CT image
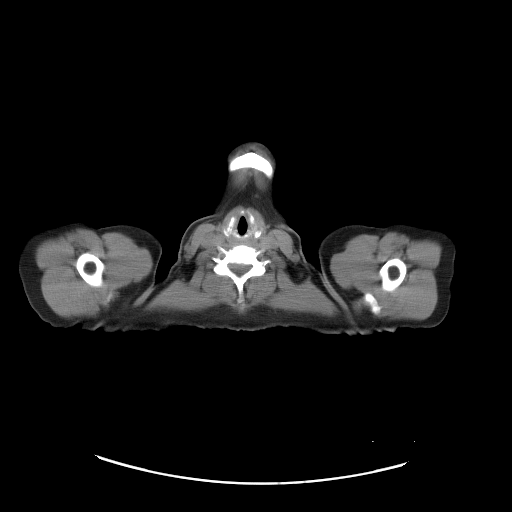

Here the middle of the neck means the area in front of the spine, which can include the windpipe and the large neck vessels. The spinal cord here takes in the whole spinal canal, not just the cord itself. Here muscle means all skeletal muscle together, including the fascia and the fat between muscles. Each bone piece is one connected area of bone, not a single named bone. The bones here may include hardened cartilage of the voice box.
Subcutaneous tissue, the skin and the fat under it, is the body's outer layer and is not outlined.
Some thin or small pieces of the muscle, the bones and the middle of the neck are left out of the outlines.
muscle 1: (239, 205) (256, 209) (270, 223) (291, 236) (301, 264) (338, 306) (342, 313) (340, 315) (326, 317) (288, 312) (263, 305) (254, 306) (245, 313) (238, 313) (224, 304) (196, 312) (142, 312) (142, 306) (176, 277) (184, 263) (184, 246) (194, 229) (199, 224) (214, 220), around a hole outlined by (241, 209) (249, 210) (257, 223) (278, 242) (277, 248) (264, 249) (262, 257) (270, 260) (265, 272) (250, 277) (244, 283) (242, 310) (232, 279) (213, 270) (215, 262) (212, 258) (218, 254) (217, 246) (204, 247) (201, 244) (207, 233) (221, 233) (230, 218)
muscle 2: (75, 228) (85, 228) (102, 233) (116, 231) (140, 241) (150, 251) (153, 265) (149, 275) (143, 281) (133, 285) (116, 305) (109, 310) (102, 311) (95, 317) (75, 317) (67, 319) (56, 314) (43, 298) (34, 251) (38, 243) (42, 240) (55, 237), around a hole outlined by (83, 252) (90, 252) (94, 254) (97, 257) (98, 257) (104, 264) (104, 270) (102, 273) (102, 279) (103, 280) (103, 283) (102, 285) (99, 287) (93, 287) (89, 285) (81, 277) (81, 276) (79, 274) (75, 266) (75, 261) (77, 257)
muscle 3: (389, 231) (396, 231) (420, 238) (434, 239) (442, 246) (440, 262) (435, 270) (438, 300) (433, 312) (425, 319) (387, 320) (384, 318) (374, 318) (367, 312) (356, 314) (353, 311) (350, 300) (331, 275) (329, 269) (330, 258) (332, 254) (347, 240) (359, 234) (377, 235), around holes outlined by (394, 257) (397, 257) (398, 258) (400, 258) (406, 264) (406, 273) (401, 283) (394, 290) (390, 292) (388, 291) (384, 291) (382, 290) (381, 288) (381, 280) (379, 276) (379, 270) (381, 266) (387, 260) (391, 258) (393, 258) and by (366, 292) (369, 292) (371, 293) (376, 299) (377, 301) (377, 303) (380, 306) (380, 313) (379, 315) (374, 315) (372, 314) (370, 312) (369, 310) (369, 308) (367, 306) (364, 305) (362, 303) (360, 303) (359, 301) (360, 298)
muscle 4: (242, 168) (252, 168) (263, 173) (268, 179) (271, 180) (271, 183) (269, 186) (269, 189) (265, 193) (263, 193) (259, 195) (256, 195) (255, 194) (249, 194) (248, 193) (243, 193) (242, 192) (237, 192) (230, 189) (229, 187) (229, 178) (230, 177) (230, 173) (232, 173)
muscle 5: (250, 146) (254, 146) (263, 150) (269, 156) (273, 163) (273, 165) (267, 158) (266, 158) (261, 154) (255, 151) (252, 151) (251, 150) (249, 151) (246, 151) (241, 154) (239, 154) (232, 157) (234, 155) (234, 154) (240, 149) (243, 149) (246, 147) (249, 147)
middle of the neck: (236, 211) (241, 214) (246, 212) (248, 222) (252, 225) (256, 223) (256, 220) (266, 232) (277, 240) (278, 247) (267, 249) (261, 247) (257, 241) (247, 244) (221, 243) (204, 247) (201, 242) (209, 232) (222, 232) (226, 237) (229, 236) (236, 221) (236, 217) (233, 215) with a hole at (256, 229) (257, 229) (258, 229) (259, 229) (260, 230) (261, 230) (262, 231) (262, 232) (262, 233) (261, 234) (260, 235) (260, 236) (259, 236) (258, 237) (257, 237) (256, 238) (255, 237) (255, 236) (254, 235) (254, 234) (254, 233) (254, 232) (254, 231) (255, 230)
torso: (307, 259) (335, 289) (370, 301) (399, 329) (395, 332) (349, 336) (321, 334) (296, 327) (249, 332) (179, 326) (163, 331) (107, 334) (99, 329) (136, 305) (155, 281) (166, 275) (175, 260) (177, 270) (189, 289) (205, 304) (216, 311) (242, 315) (292, 294) (301, 283)
head and neck: (246, 141) (257, 141) (264, 144) (278, 162) (277, 204) (291, 227) (300, 236) (306, 262) (300, 283) (292, 293) (266, 302) (246, 313) (235, 314) (216, 310) (197, 296) (180, 274) (176, 258) (185, 229) (194, 220) (207, 215) (218, 200) (226, 171) (224, 158) (235, 146)
left arm: (394, 223) (437, 228) (445, 232) (455, 243) (456, 254) (454, 275) (451, 283) (450, 305) (444, 319) (440, 324) (434, 327) (417, 329) (399, 328) (364, 296) (347, 294) (335, 288) (317, 266) (319, 263) (317, 254) (318, 245) (321, 239) (330, 231) (347, 224) (384, 227)
right arm: (70, 220) (82, 220) (96, 228) (115, 224) (139, 226) (155, 235) (162, 246) (162, 254) (156, 279) (148, 291) (136, 304) (125, 310) (110, 323) (94, 331) (82, 330) (78, 325) (70, 328) (55, 328) (43, 321) (30, 306) (18, 274) (18, 256) (27, 237) (40, 227)
bones 1: (238, 244) (245, 244) (256, 249) (264, 248) (262, 257) (270, 260) (262, 275) (252, 276) (244, 283) (242, 310) (240, 310) (241, 305) (237, 302) (238, 290) (236, 285) (227, 275) (218, 275) (214, 272) (213, 267) (215, 262) (212, 259) (218, 254) (217, 246) (229, 249) with a hole at (230, 264) (239, 264) (240, 265) (241, 264) (242, 265) (250, 265) (250, 267) (249, 268) (249, 269) (247, 271) (246, 271) (244, 273) (243, 273) (241, 275) (237, 275) (234, 272) (233, 272) (230, 269) (230, 268) (229, 267) (229, 265)
bones 2: (83, 252) (90, 252) (94, 254) (97, 257) (98, 257) (104, 264) (104, 270) (102, 273) (102, 279) (103, 280) (103, 283) (102, 285) (99, 287) (93, 287) (89, 285) (81, 277) (81, 276) (79, 274) (75, 266) (75, 261) (77, 257)
bones 3: (394, 257) (397, 257) (398, 258) (400, 258) (406, 264) (406, 273) (401, 283) (394, 290) (390, 292) (388, 291) (384, 291) (382, 290) (381, 288) (381, 280) (379, 276) (379, 270) (381, 266) (387, 260) (391, 258) (393, 258)
bones 4: (250, 151) (252, 152) (255, 152) (261, 155) (270, 162) (270, 163) (273, 166) (273, 168) (274, 169) (274, 174) (273, 175) (273, 177) (271, 179) (268, 178) (263, 172) (252, 167) (242, 167) (232, 172) (229, 172) (228, 171) (227, 169) (227, 166) (229, 161) (232, 158)
bones 5: (366, 292) (369, 292) (371, 293) (376, 299) (377, 301) (377, 303) (380, 306) (380, 313) (379, 315) (374, 315) (372, 314) (370, 312) (369, 310) (369, 308) (367, 306) (364, 305) (362, 303) (360, 303) (359, 301) (360, 298)
bones 6: (232, 216) (234, 216) (235, 217) (235, 221) (234, 221) (233, 222) (233, 223) (231, 226) (231, 229) (229, 232) (229, 234) (228, 235) (228, 236) (226, 236) (223, 233) (223, 232) (222, 231) (222, 229) (224, 227) (224, 226) (225, 226) (226, 225) (226, 224)
bones 7: (242, 209) (243, 210) (246, 210) (247, 209) (248, 210) (249, 210) (249, 211) (254, 216) (254, 218) (255, 219) (255, 223) (254, 224) (252, 224) (249, 222) (249, 215) (248, 214) (248, 213) (246, 211) (245, 211) (243, 213) (241, 213) (239, 211) (240, 211)
spinal cord: (230, 264) (239, 264) (240, 265) (241, 264) (242, 265) (250, 265) (250, 267) (249, 268) (249, 269) (247, 271) (246, 271) (244, 273) (243, 273) (241, 275) (237, 275) (234, 272) (233, 272) (230, 269) (230, 268) (229, 267) (229, 265)